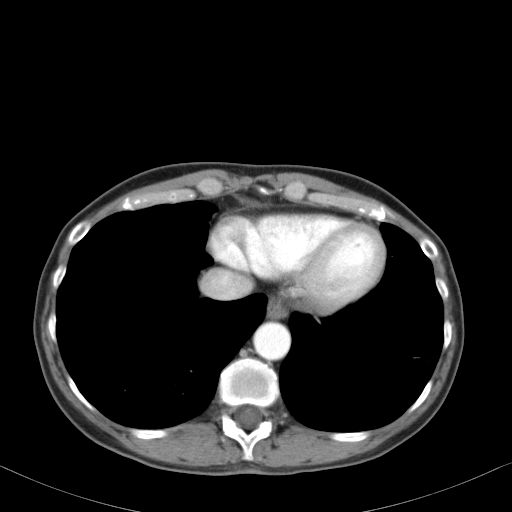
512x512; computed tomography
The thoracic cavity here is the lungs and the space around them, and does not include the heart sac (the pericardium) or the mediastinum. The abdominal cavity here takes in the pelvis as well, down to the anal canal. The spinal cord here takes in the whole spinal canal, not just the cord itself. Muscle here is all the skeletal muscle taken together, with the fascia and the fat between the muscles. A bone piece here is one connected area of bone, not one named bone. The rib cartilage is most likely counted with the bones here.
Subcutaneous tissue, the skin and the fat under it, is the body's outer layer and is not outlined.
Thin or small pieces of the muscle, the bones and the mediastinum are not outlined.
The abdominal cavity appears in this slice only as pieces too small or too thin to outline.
Outlines (x, y in pixels):
thoracic cavity 1: [[193,200],[205,201],[215,207],[207,221],[204,247],[213,263],[197,272],[198,295],[227,301],[263,294],[265,314],[220,371],[215,397],[199,415],[164,428],[130,427],[98,410],[69,374],[56,335],[57,290],[66,274],[73,247],[100,220],[115,212]]
thoracic cavity 2: [[381,222],[394,224],[409,234],[431,261],[443,307],[439,357],[416,399],[389,423],[359,431],[326,431],[309,427],[289,412],[279,386],[280,368],[292,345],[290,316],[298,312],[320,323],[323,318],[355,303],[376,287],[384,274],[388,255],[380,231]]
torso: [[190,161],[290,163],[353,173],[396,196],[441,238],[461,292],[464,345],[444,402],[419,431],[383,455],[355,465],[289,475],[200,475],[150,467],[115,453],[92,441],[64,415],[45,383],[32,333],[38,280],[56,237],[73,215],[120,181],[156,166]]
muscle 1: [[205,169],[222,169],[248,176],[282,172],[300,172],[317,176],[380,201],[409,220],[436,243],[442,254],[453,299],[456,345],[442,388],[434,401],[411,424],[369,451],[332,462],[279,467],[270,467],[252,462],[254,460],[254,446],[258,441],[269,437],[272,431],[273,422],[268,417],[268,410],[280,401],[298,422],[309,428],[328,432],[327,435],[338,442],[362,441],[371,435],[370,430],[389,424],[406,411],[407,413],[414,411],[430,393],[434,382],[431,378],[432,374],[442,350],[447,349],[452,338],[452,323],[447,318],[444,319],[443,306],[443,302],[448,298],[449,291],[446,282],[441,277],[435,277],[432,261],[438,256],[438,249],[429,238],[423,236],[416,240],[395,224],[396,215],[381,203],[346,194],[308,191],[299,180],[291,181],[280,189],[283,195],[273,193],[269,188],[260,184],[254,185],[253,188],[246,185],[243,189],[220,194],[224,189],[223,183],[213,176],[207,176],[202,178],[194,188],[180,187],[127,195],[117,204],[116,211],[93,224],[90,220],[84,219],[87,216],[131,190]]
muscle 2: [[71,229],[67,243],[73,246],[66,265],[60,263],[53,272],[55,311],[52,310],[46,320],[49,336],[58,346],[68,373],[66,380],[71,391],[89,410],[97,410],[129,427],[132,436],[144,440],[165,437],[169,432],[165,428],[199,416],[215,398],[225,407],[220,414],[223,435],[220,439],[235,440],[242,451],[241,459],[247,461],[188,466],[143,456],[87,419],[65,397],[50,371],[40,323],[49,277]]
bones 1: [[247,357],[257,359],[275,371],[281,397],[281,400],[267,410],[267,417],[272,422],[271,431],[269,436],[255,443],[251,461],[242,459],[242,448],[235,439],[227,436],[223,441],[221,439],[224,436],[221,414],[226,407],[216,398],[221,371],[230,362]], around a hole outlined by [[245,404],[250,404],[254,406],[257,406],[262,408],[264,410],[264,413],[263,414],[263,418],[262,420],[257,424],[255,428],[250,430],[244,429],[242,427],[239,426],[232,415],[232,408],[233,407],[236,407],[237,406],[240,406]]
bones 2: [[294,181],[301,182],[308,192],[322,192],[335,195],[346,195],[381,204],[391,211],[396,218],[394,223],[386,221],[380,222],[372,217],[360,214],[347,208],[310,204],[306,198],[300,201],[288,199],[284,196],[283,191],[280,190],[282,190],[287,184]]
bones 3: [[207,177],[213,177],[222,183],[223,189],[218,195],[206,196],[198,192],[196,197],[192,200],[186,200],[174,203],[158,203],[133,210],[117,211],[118,204],[127,196],[134,196],[138,194],[152,191],[164,191],[180,188],[194,189],[196,185],[202,179]]
bones 4: [[367,430],[369,430],[369,431],[370,432],[370,435],[368,437],[367,437],[366,438],[365,438],[362,440],[360,440],[359,441],[338,441],[337,440],[335,440],[334,439],[332,439],[328,435],[328,433],[329,432],[359,432],[360,431],[366,431]]
bones 5: [[82,220],[88,220],[91,222],[92,225],[91,226],[91,227],[88,230],[88,231],[83,236],[83,237],[81,239],[80,239],[74,245],[70,245],[68,243],[68,237],[69,236],[72,229],[76,225],[76,224],[77,224],[80,221],[81,221]]
bones 6: [[131,428],[137,428],[138,429],[167,429],[168,430],[168,432],[167,433],[167,434],[165,436],[164,436],[163,437],[160,437],[159,438],[150,438],[149,439],[144,439],[143,438],[139,438],[138,437],[136,437],[135,436],[132,435],[130,433],[130,429]]
bones 7: [[423,237],[425,237],[426,238],[429,239],[435,245],[435,246],[437,249],[437,256],[434,259],[433,259],[432,260],[431,260],[424,253],[424,252],[422,250],[422,249],[421,248],[421,247],[420,246],[420,245],[418,242],[419,239],[420,238],[422,238]]
bones 8: [[430,379],[432,379],[433,382],[432,383],[432,385],[431,386],[430,391],[427,395],[427,396],[425,398],[425,399],[414,410],[413,410],[411,412],[407,412],[407,410],[408,409],[408,408],[417,399],[417,398],[423,390],[424,387],[426,385],[427,382]]
bones 9: [[68,374],[71,377],[71,378],[73,380],[75,385],[77,387],[78,390],[81,393],[81,394],[96,409],[96,411],[93,411],[92,410],[89,409],[76,396],[76,395],[72,391],[72,390],[70,388],[70,387],[68,384],[68,381],[67,380],[67,375]]
spinal cord: [[245,404],[250,404],[254,406],[257,406],[262,408],[264,410],[264,413],[263,414],[263,418],[262,420],[257,424],[255,428],[250,430],[244,429],[242,427],[239,426],[232,415],[232,408],[233,407],[236,407],[237,406],[240,406]]
mediastinum 1: [[214,262],[220,266],[246,274],[252,282],[297,311],[294,311],[289,316],[291,345],[280,365],[278,374],[267,363],[254,357],[247,356],[232,360],[263,321],[266,314],[267,298],[263,293],[253,293],[227,300],[199,295],[196,285],[198,272],[211,266]]
mediastinum 2: [[250,188],[262,195],[267,196],[272,194],[280,194],[288,200],[303,203],[283,202],[277,205],[251,207],[233,211],[226,213],[214,220],[209,229],[208,221],[216,207],[208,201],[195,199],[202,197],[215,197],[222,194],[231,194],[239,190],[247,190]]
pericardium: [[283,203],[347,209],[361,215],[375,224],[383,238],[387,254],[383,274],[375,287],[355,302],[329,316],[318,319],[311,314],[303,313],[290,307],[287,302],[252,281],[246,273],[216,263],[206,251],[208,232],[214,221],[233,212],[251,208],[277,206]]